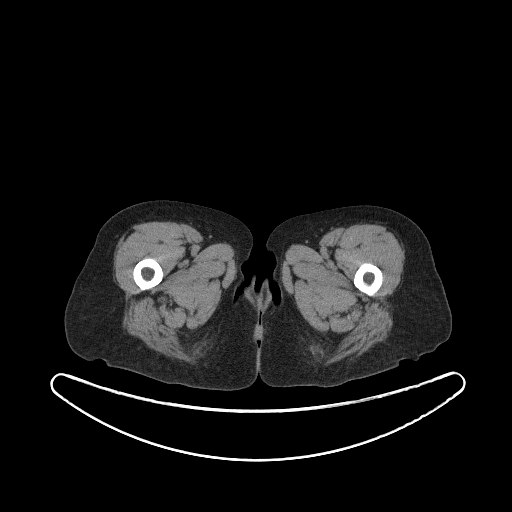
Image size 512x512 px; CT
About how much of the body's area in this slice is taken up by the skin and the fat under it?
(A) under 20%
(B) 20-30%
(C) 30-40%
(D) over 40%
(D) over 40%
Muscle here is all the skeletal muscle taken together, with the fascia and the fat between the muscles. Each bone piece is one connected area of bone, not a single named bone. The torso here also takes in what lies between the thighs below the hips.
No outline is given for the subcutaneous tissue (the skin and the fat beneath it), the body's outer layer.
{"torso":[[[253,273],[255,274],[254,286],[256,289],[259,288],[265,277],[268,279],[272,298],[276,303],[279,303],[283,311],[314,385],[272,387],[265,384],[258,377],[249,387],[238,390],[214,390],[200,388],[211,343],[241,286],[243,276],[244,282],[247,284]]],"right_leg":[[[158,199],[184,201],[226,212],[242,221],[250,230],[253,238],[249,257],[241,266],[243,275],[240,286],[210,343],[199,388],[164,383],[128,370],[110,367],[100,359],[86,360],[71,350],[65,337],[64,310],[66,303],[101,226],[113,214],[127,206]]],"bones":[[[145,257],[150,257],[151,258],[154,258],[159,263],[159,264],[162,268],[162,271],[163,272],[163,277],[161,281],[155,286],[146,290],[140,290],[139,287],[135,283],[133,279],[133,275],[132,273],[133,272],[133,268],[136,264],[136,263],[141,259]],[[364,262],[369,262],[376,265],[382,272],[382,276],[383,277],[382,279],[382,283],[379,289],[373,296],[369,296],[365,293],[362,292],[360,290],[359,290],[353,283],[353,278],[354,277],[354,274],[356,270],[358,268],[358,267]]],"left_leg":[[[362,204],[378,205],[398,211],[422,229],[430,243],[435,266],[451,310],[451,334],[434,351],[423,354],[416,360],[402,360],[392,369],[337,386],[316,386],[279,302],[279,289],[272,281],[276,261],[274,255],[266,249],[266,241],[277,225],[291,217]]],"muscle":[{"outer":[[147,221],[186,223],[201,233],[206,244],[226,242],[234,249],[235,277],[205,324],[214,345],[208,352],[200,355],[196,363],[190,363],[159,353],[126,333],[122,327],[125,298],[124,292],[113,280],[113,253],[123,233],[127,232],[132,225]],"hole":[[145,257],[150,257],[151,258],[154,258],[159,263],[159,264],[162,268],[162,271],[163,272],[163,277],[161,281],[155,286],[146,290],[140,290],[139,287],[135,283],[133,279],[133,275],[132,273],[133,272],[133,268],[136,264],[136,263],[141,259]]},{"outer":[[356,223],[379,224],[390,228],[403,245],[405,260],[401,282],[389,297],[393,324],[387,338],[368,351],[352,360],[344,358],[324,364],[310,352],[311,339],[306,321],[284,288],[281,278],[284,255],[292,244],[300,243],[315,248],[322,235],[331,228]],"hole":[[364,262],[369,262],[376,265],[382,272],[382,276],[383,277],[382,279],[382,283],[379,289],[373,296],[369,296],[365,293],[362,292],[360,290],[359,290],[353,283],[353,278],[354,277],[354,274],[356,270],[358,268],[358,267]]}]}